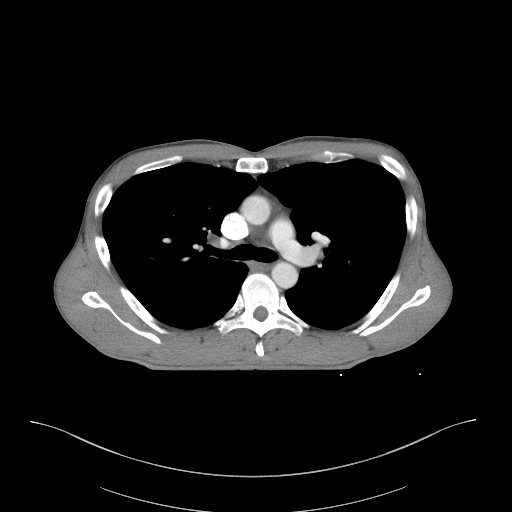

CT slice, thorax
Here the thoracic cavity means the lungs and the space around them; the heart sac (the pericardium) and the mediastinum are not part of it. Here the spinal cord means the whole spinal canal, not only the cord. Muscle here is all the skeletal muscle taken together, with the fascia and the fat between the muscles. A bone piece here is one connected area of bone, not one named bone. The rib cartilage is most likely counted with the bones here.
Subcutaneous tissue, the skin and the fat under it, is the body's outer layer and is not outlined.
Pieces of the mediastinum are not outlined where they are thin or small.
spinal cord: [[258,307],[263,307],[264,308],[265,308],[265,309],[267,311],[267,315],[266,316],[266,317],[264,319],[263,319],[262,320],[259,320],[258,319],[257,319],[254,316],[254,311]]
thoracic cavity: [[355,158],[399,181],[406,233],[385,288],[351,324],[313,326],[289,306],[284,294],[298,282],[304,246],[285,205],[258,182],[220,223],[221,247],[247,274],[211,324],[187,329],[160,321],[112,263],[103,214],[132,176],[196,162],[257,181],[291,164]]
muscle: [[303,141],[379,144],[393,150],[414,178],[422,207],[423,235],[446,276],[448,296],[441,312],[413,338],[338,364],[165,366],[109,351],[67,317],[58,300],[57,280],[79,241],[84,240],[88,206],[97,186],[118,162],[132,154],[188,144],[224,145],[252,155],[240,156],[233,168],[182,161],[184,157],[176,153],[139,165],[114,191],[111,182],[104,183],[94,200],[94,216],[102,215],[102,234],[93,237],[99,260],[107,271],[113,265],[123,282],[118,286],[122,298],[151,329],[169,334],[160,322],[187,330],[211,325],[223,336],[236,329],[248,329],[258,337],[254,350],[262,357],[262,338],[271,330],[284,329],[298,337],[312,326],[335,330],[359,321],[348,333],[365,337],[387,326],[404,310],[424,303],[432,291],[426,284],[417,288],[389,316],[373,324],[400,282],[401,272],[396,270],[406,234],[411,239],[416,232],[418,206],[412,194],[405,197],[400,181],[407,175],[402,164],[387,153],[380,153],[376,163],[350,152],[324,149],[311,153],[307,161],[269,170],[268,160],[256,156],[258,154]]; inner edge: [[87,291],[95,291],[97,292],[97,293],[123,320],[130,323],[133,326],[140,330],[149,331],[155,334],[160,339],[161,343],[158,344],[152,340],[132,331],[122,324],[106,308],[103,307],[97,307],[94,308],[85,304],[82,301],[81,297],[82,295]]
mediastinum: [[257,183],[276,196],[284,205],[290,214],[290,219],[296,231],[297,241],[303,246],[303,257],[299,264],[300,271],[297,282],[283,294],[267,274],[259,271],[248,274],[247,266],[222,247],[221,223],[224,216],[236,209],[242,200],[256,188]]
bones 1: [[257,272],[267,275],[279,292],[284,295],[290,309],[311,326],[305,328],[298,336],[284,328],[274,328],[267,331],[261,338],[263,346],[262,356],[256,353],[255,346],[259,337],[252,330],[248,328],[236,328],[223,335],[212,325],[233,305],[247,275]]; inner edge: [[258,307],[263,307],[264,308],[265,308],[265,309],[267,311],[267,315],[266,316],[266,317],[264,319],[263,319],[262,320],[259,320],[258,319],[257,319],[254,316],[254,311]]
bones 2: [[396,271],[400,272],[400,279],[397,287],[388,303],[372,322],[373,325],[382,322],[394,313],[414,294],[417,289],[429,285],[431,290],[429,297],[419,305],[404,309],[387,325],[368,335],[361,336],[358,333],[349,333],[360,323],[359,320],[378,300]]
bones 3: [[87,291],[95,291],[97,292],[97,293],[123,320],[130,323],[133,326],[140,330],[149,331],[155,334],[160,339],[161,343],[158,344],[152,340],[132,331],[122,324],[106,308],[103,307],[97,307],[94,308],[85,304],[82,301],[81,297],[82,295]]
bones 4: [[120,285],[124,285],[133,294],[133,295],[140,302],[140,303],[156,319],[159,321],[159,324],[162,327],[167,329],[169,331],[169,333],[160,333],[156,330],[151,328],[145,322],[144,322],[131,309],[131,308],[127,304],[123,298],[119,290],[119,286]]
bones 5: [[249,156],[255,156],[256,157],[264,157],[267,160],[268,162],[268,165],[269,166],[269,169],[268,171],[264,173],[249,173],[248,172],[242,172],[241,171],[236,171],[234,169],[235,167],[235,164],[236,163],[236,161],[240,157],[248,157]]
bones 6: [[410,195],[412,195],[414,197],[415,199],[415,201],[416,202],[416,205],[417,206],[417,220],[416,221],[416,226],[415,227],[415,232],[414,233],[414,235],[411,238],[407,233],[407,229],[406,228],[406,215],[405,214],[405,198],[407,196],[409,196]]
bones 7: [[176,154],[181,155],[183,157],[183,159],[180,162],[178,162],[168,166],[165,166],[161,168],[158,168],[157,169],[142,172],[135,175],[132,175],[132,173],[139,166],[143,164],[148,163],[151,161],[154,161],[162,158],[165,158],[172,155],[175,155]]
bones 8: [[324,150],[330,150],[331,151],[335,151],[336,152],[346,152],[347,153],[350,153],[354,156],[354,158],[346,159],[341,161],[336,161],[335,162],[323,162],[322,161],[309,160],[308,159],[308,157],[311,154],[313,153],[317,153],[318,152],[322,152]]
bones 9: [[380,154],[387,154],[388,155],[393,157],[395,159],[396,159],[401,164],[401,165],[403,167],[403,168],[405,171],[406,178],[405,179],[403,179],[402,180],[399,180],[393,174],[392,174],[389,171],[388,171],[385,168],[384,168],[379,163],[378,156]]
bones 10: [[106,183],[111,183],[112,185],[112,190],[113,192],[109,200],[109,202],[107,206],[105,208],[103,213],[101,215],[96,217],[95,216],[95,200],[96,199],[96,197],[97,196],[98,191],[100,189],[100,188],[104,184]]
bones 11: [[95,235],[103,235],[105,239],[105,241],[106,242],[106,244],[108,248],[109,255],[110,256],[110,260],[111,261],[109,270],[107,270],[104,267],[97,253],[97,250],[96,249],[96,247],[95,246],[95,242],[94,241],[94,237]]
torso: [[302,135],[357,136],[381,140],[399,149],[413,168],[423,191],[429,238],[453,285],[452,300],[446,313],[418,341],[345,370],[155,371],[101,353],[64,321],[54,303],[53,279],[76,238],[90,188],[114,159],[134,148],[182,139],[207,138],[259,150]]